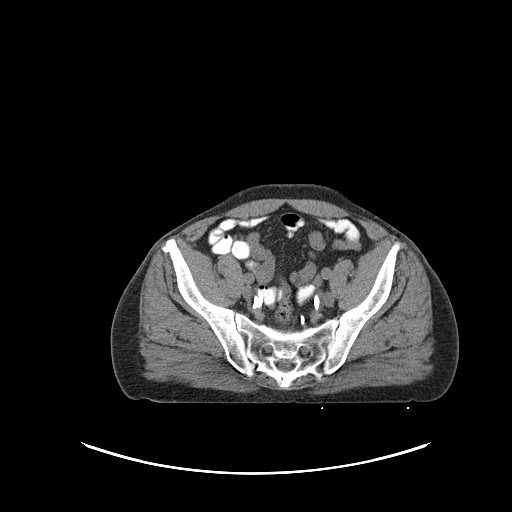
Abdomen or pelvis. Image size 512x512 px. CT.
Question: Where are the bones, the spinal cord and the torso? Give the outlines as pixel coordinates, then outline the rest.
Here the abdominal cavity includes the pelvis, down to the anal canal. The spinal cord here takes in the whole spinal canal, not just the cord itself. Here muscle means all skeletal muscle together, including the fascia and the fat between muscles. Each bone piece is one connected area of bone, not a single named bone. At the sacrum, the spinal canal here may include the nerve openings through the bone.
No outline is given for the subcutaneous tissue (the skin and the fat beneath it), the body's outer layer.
Answer: The bones are outlined by [[169,238],[175,240],[207,300],[259,325],[292,331],[338,318],[360,303],[393,243],[398,241],[400,248],[388,297],[363,325],[341,366],[320,380],[312,373],[299,376],[284,389],[264,372],[248,376],[227,360],[210,325],[177,287],[170,256],[161,249]], around holes outlined by [[280,362],[283,362],[284,363],[285,362],[288,364],[291,364],[292,365],[292,367],[291,368],[291,369],[290,369],[289,370],[287,370],[286,371],[284,371],[283,370],[281,370],[280,369],[279,369],[278,368],[278,366],[277,365],[277,364]] and by [[267,346],[268,346],[269,346],[270,346],[271,347],[271,348],[271,349],[271,350],[270,351],[270,352],[269,353],[268,353],[267,353],[266,353],[265,352],[264,351],[264,350],[264,349],[264,348],[265,347],[266,347]]. The spinal cord appears in 3 outlined pieces: piece 1: [[280,362],[283,362],[284,363],[285,362],[288,364],[291,364],[292,365],[292,367],[291,368],[291,369],[290,369],[289,370],[287,370],[286,371],[284,371],[283,370],[281,370],[280,369],[279,369],[278,368],[278,366],[277,365],[277,364]]; piece 2: [[267,346],[268,346],[269,346],[270,346],[271,347],[271,348],[271,349],[271,350],[270,351],[270,352],[269,353],[268,353],[267,353],[266,353],[265,352],[264,351],[264,350],[264,349],[264,348],[265,347],[266,347]]; piece 3: [[302,347],[303,347],[304,347],[305,348],[306,349],[307,350],[307,351],[307,352],[306,353],[305,353],[304,354],[303,354],[302,354],[301,354],[300,353],[300,352],[300,351],[300,350],[301,349],[301,348]]. The torso is outlined by [[300,182],[322,184],[341,191],[403,232],[420,248],[449,296],[458,327],[459,358],[448,390],[435,400],[421,403],[412,400],[407,403],[322,405],[209,404],[159,403],[128,398],[120,389],[112,369],[110,327],[125,286],[152,244],[174,227],[246,187]]. The abdominal cavity is outlined by [[284,204],[313,216],[350,217],[375,242],[355,263],[341,259],[335,265],[329,280],[329,293],[338,300],[337,317],[316,326],[294,330],[259,324],[231,308],[244,290],[240,265],[229,255],[212,258],[194,247],[208,228],[224,217],[247,218],[267,214]]. The muscle is outlined by [[265,198],[329,202],[381,225],[411,248],[430,284],[435,339],[434,367],[429,375],[409,384],[356,387],[333,393],[311,394],[269,388],[234,392],[193,387],[172,381],[155,381],[142,374],[138,354],[139,298],[147,269],[160,243],[194,222],[243,203]]; inner edge: [[284,204],[350,217],[375,242],[332,271],[338,318],[365,298],[400,243],[388,297],[345,361],[286,389],[227,360],[210,325],[182,297],[161,249],[173,238],[202,295],[230,308],[244,290],[240,265],[229,255],[212,258],[195,242],[224,217]].